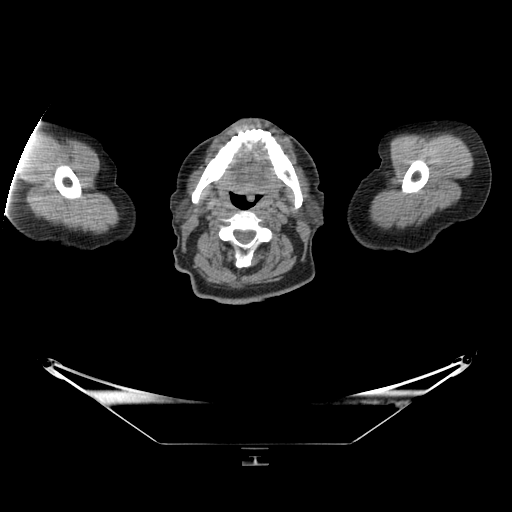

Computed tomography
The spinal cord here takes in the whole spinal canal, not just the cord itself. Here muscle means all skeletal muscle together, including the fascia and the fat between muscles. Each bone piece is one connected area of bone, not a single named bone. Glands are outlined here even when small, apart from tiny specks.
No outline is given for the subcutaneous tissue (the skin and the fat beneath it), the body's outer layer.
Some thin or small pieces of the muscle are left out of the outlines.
{"muscle":[{"outer":[[244,121],[259,122],[274,128],[292,143],[310,182],[312,195],[307,196],[299,216],[311,226],[311,232],[306,260],[297,271],[277,282],[227,290],[208,285],[186,261],[181,250],[180,226],[193,214],[193,204],[199,203],[203,190],[226,171],[242,143],[250,138],[261,140],[275,175],[292,192],[294,209],[298,210],[304,201],[290,158],[273,134],[259,127],[233,134],[205,165],[190,199],[184,195],[186,179],[213,140]],"hole":[[231,193],[244,196],[248,202],[260,196],[248,208],[258,217],[263,218],[263,223],[272,232],[271,239],[262,242],[254,251],[251,265],[247,267],[239,268],[235,265],[234,247],[229,242],[220,239],[218,235],[219,219],[228,218],[241,209],[232,202]]},{"outer":[[33,131],[50,133],[62,137],[73,137],[94,148],[101,164],[99,180],[119,213],[120,220],[115,227],[111,228],[106,233],[97,235],[90,232],[73,231],[61,225],[52,225],[43,219],[36,218],[28,211],[18,193],[17,180],[14,173],[23,149]],"hole":[[62,164],[68,165],[72,169],[72,170],[78,178],[79,182],[81,185],[81,189],[82,190],[82,193],[80,197],[78,198],[74,198],[73,199],[65,198],[56,188],[54,181],[53,180],[53,176],[54,175],[54,172],[55,171],[56,167]]},{"outer":[[445,131],[452,131],[461,136],[474,153],[472,177],[458,202],[436,212],[419,226],[407,226],[403,229],[395,227],[382,229],[372,224],[368,219],[367,210],[370,201],[382,186],[384,173],[389,169],[389,142],[391,139],[397,134],[405,132],[433,134]],"hole":[[416,159],[421,159],[423,160],[429,167],[429,176],[428,177],[428,179],[426,183],[417,192],[413,192],[412,193],[404,193],[401,190],[401,180],[403,178],[404,176],[404,174],[406,172],[407,169],[409,167],[411,162],[413,160],[415,160]]}],"head_and_neck":[{"outer":[[246,116],[262,117],[273,122],[308,151],[318,171],[318,188],[325,195],[324,221],[312,240],[316,271],[311,281],[264,301],[226,304],[196,296],[188,275],[175,268],[172,250],[176,237],[171,225],[169,197],[175,190],[177,173],[186,155],[200,142]],"hole":[[231,193],[236,194],[240,196],[244,196],[245,197],[245,199],[247,200],[248,202],[252,202],[255,199],[256,196],[260,196],[259,197],[259,199],[258,199],[253,205],[246,209],[242,209],[240,207],[236,206],[232,202],[232,200],[230,196],[230,194]]}],"bones":[[[252,128],[269,131],[289,158],[297,175],[302,192],[303,201],[301,206],[295,209],[292,190],[276,175],[268,157],[264,142],[255,137],[247,138],[241,143],[222,175],[202,190],[198,203],[194,204],[191,200],[191,193],[208,162],[233,135],[239,131]],{"outer":[[241,209],[242,210],[249,209],[258,217],[263,218],[264,220],[263,223],[271,230],[272,237],[269,241],[262,242],[257,247],[253,253],[251,259],[251,265],[239,268],[235,265],[236,259],[234,247],[229,242],[220,239],[218,231],[220,218],[228,218]],"hole":[[235,230],[239,230],[240,231],[249,231],[250,230],[251,230],[252,231],[254,231],[254,232],[255,233],[255,234],[251,240],[250,240],[248,242],[247,242],[246,243],[243,243],[242,242],[240,242],[235,237],[235,236],[234,235],[234,231]]},[[62,164],[68,165],[72,169],[72,170],[78,178],[79,182],[81,185],[81,189],[82,190],[82,193],[80,197],[78,198],[74,198],[73,199],[65,198],[56,188],[54,181],[53,180],[53,176],[54,175],[54,172],[55,171],[56,167]],[[416,159],[421,159],[423,160],[429,167],[429,176],[428,177],[428,179],[426,183],[417,192],[413,192],[412,193],[404,193],[401,190],[401,180],[403,178],[404,176],[404,174],[406,172],[407,169],[409,167],[411,162],[413,160],[415,160]]],"right_arm":[[[40,120],[50,120],[81,130],[93,135],[102,143],[117,167],[116,182],[130,195],[136,207],[137,222],[128,239],[121,243],[89,251],[72,247],[65,248],[56,243],[37,242],[27,238],[16,230],[6,218],[10,207],[10,192],[16,166],[31,133]]],"left_arm":[[[433,118],[452,118],[464,121],[475,128],[480,135],[489,155],[492,170],[491,189],[485,205],[477,216],[444,229],[429,246],[419,252],[374,251],[363,247],[353,238],[348,229],[346,207],[360,180],[380,164],[377,153],[380,138],[386,131],[399,124]]],"parotid_glands":[[[310,195],[315,198],[315,199],[319,204],[319,207],[320,208],[320,217],[319,218],[319,221],[315,225],[311,225],[305,222],[301,218],[300,216],[301,214],[301,210],[303,206],[306,203],[306,200],[308,196]],[[184,196],[186,196],[188,197],[188,198],[191,201],[192,203],[192,206],[193,207],[193,211],[192,212],[192,214],[187,219],[186,219],[180,225],[178,225],[177,226],[174,220],[174,209],[176,206],[176,202],[178,202],[180,200],[181,200]]],"spinal_cord":[[[235,230],[239,230],[240,231],[249,231],[250,230],[251,230],[252,231],[254,231],[254,232],[255,233],[255,234],[251,240],[250,240],[248,242],[247,242],[246,243],[243,243],[242,242],[240,242],[235,237],[235,236],[234,235],[234,231]]]}